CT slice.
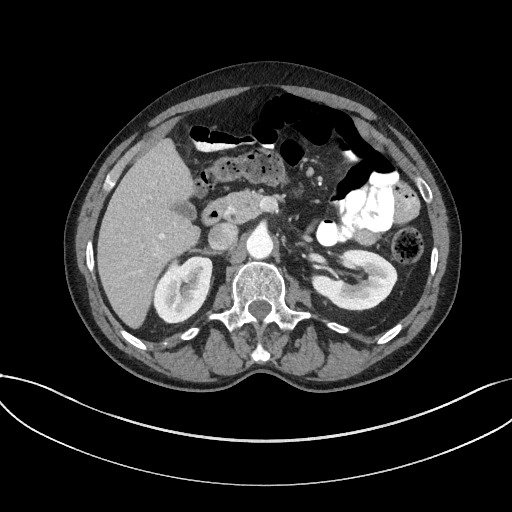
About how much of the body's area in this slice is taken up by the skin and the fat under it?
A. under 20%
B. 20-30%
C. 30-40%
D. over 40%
Answer: A. under 20%
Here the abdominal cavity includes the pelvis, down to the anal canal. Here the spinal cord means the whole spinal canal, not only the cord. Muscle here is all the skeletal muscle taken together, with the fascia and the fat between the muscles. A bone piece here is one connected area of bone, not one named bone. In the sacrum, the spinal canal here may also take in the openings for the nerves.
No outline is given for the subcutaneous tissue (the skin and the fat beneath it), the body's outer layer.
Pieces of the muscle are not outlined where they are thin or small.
{"muscle":[{"outer":[[195,382],[209,382],[216,380],[220,375],[236,374],[247,369],[254,363],[271,364],[286,373],[299,376],[304,375],[307,379],[317,381],[333,381],[347,378],[361,372],[399,347],[408,343],[421,330],[431,317],[436,305],[437,297],[440,289],[440,282],[445,271],[447,256],[449,252],[449,229],[446,209],[435,180],[415,147],[385,119],[369,108],[348,98],[326,91],[304,86],[264,83],[217,90],[196,96],[185,101],[182,101],[162,111],[142,125],[135,133],[120,143],[111,152],[102,164],[83,202],[78,217],[78,223],[75,235],[75,252],[77,265],[85,280],[88,292],[89,303],[93,317],[98,326],[110,341],[130,356],[140,360],[152,369],[161,372],[170,377]],"holes":[[[143,350],[142,339],[195,337],[225,281],[233,304],[208,320],[229,332],[292,330],[312,314],[286,305],[285,273],[311,290],[328,328],[389,341],[436,271],[429,186],[344,110],[280,88],[186,114],[119,176],[137,147],[107,173],[85,252],[120,333]],[[255,361],[257,361],[258,360],[262,360],[263,361],[266,361],[269,359],[269,353],[263,347],[263,346],[262,345],[261,342],[259,340],[257,342],[255,348],[251,352],[251,353],[250,354],[250,356],[252,358],[252,359]]]}],"spinal_cord":[[[259,320],[260,320],[263,317],[264,317],[270,311],[270,309],[271,308],[270,305],[267,302],[266,302],[265,301],[263,301],[262,300],[257,300],[256,301],[254,301],[253,302],[252,302],[249,305],[249,306],[248,307],[248,309],[249,310],[249,311]]],"bones":[{"outer":[[258,334],[272,322],[282,330],[292,330],[300,320],[310,318],[312,314],[309,311],[293,310],[286,305],[284,278],[273,264],[263,261],[249,261],[239,268],[232,280],[232,306],[221,312],[209,314],[207,319],[220,320],[229,332],[245,323],[251,323]],"hole":[[259,320],[260,320],[263,317],[264,317],[270,311],[270,309],[271,308],[270,305],[267,302],[266,302],[265,301],[263,301],[262,300],[257,300],[256,301],[254,301],[253,302],[252,302],[249,305],[249,306],[248,307],[248,309],[249,310],[249,311]]},[[106,192],[108,192],[114,185],[115,181],[118,176],[118,174],[121,168],[123,166],[123,164],[125,160],[130,156],[131,156],[135,152],[135,151],[137,149],[137,147],[133,147],[129,151],[128,151],[107,173],[102,185],[102,189]],[[428,204],[432,201],[432,199],[433,198],[433,196],[432,195],[432,192],[429,186],[423,179],[423,178],[421,176],[419,175],[417,175],[413,178],[413,180],[416,186],[418,188],[421,195],[423,197],[424,200],[426,202],[426,203]],[[378,344],[382,344],[383,343],[385,343],[389,341],[391,339],[392,339],[399,332],[399,331],[401,329],[402,327],[402,324],[401,322],[398,322],[394,326],[393,326],[391,328],[387,330],[384,333],[383,333],[378,338],[377,340],[377,343]],[[255,361],[257,361],[258,360],[262,360],[263,361],[266,361],[269,359],[269,353],[263,347],[263,346],[262,345],[261,342],[259,340],[257,342],[255,348],[251,352],[251,353],[250,354],[250,356],[252,358],[252,359]],[[143,350],[146,349],[146,346],[145,345],[145,344],[140,339],[137,338],[135,336],[134,336],[132,334],[131,334],[123,328],[122,328],[120,330],[120,333],[122,335],[122,336],[128,342],[129,342],[134,346],[135,346],[140,349],[142,349]],[[91,273],[92,273],[92,271],[93,270],[93,267],[94,266],[94,261],[93,260],[93,243],[92,242],[92,240],[90,239],[88,240],[87,242],[87,246],[86,247],[86,251],[85,252],[85,254],[86,255],[86,265],[88,269],[91,272]],[[431,276],[432,276],[435,273],[435,272],[436,271],[436,268],[437,267],[437,261],[438,260],[438,252],[437,251],[437,248],[436,247],[436,246],[435,246],[434,245],[433,245],[432,246],[432,248],[431,249],[431,253],[430,254],[430,275]],[[339,333],[346,333],[347,332],[350,331],[350,329],[347,326],[345,326],[344,325],[342,325],[341,324],[339,324],[336,322],[332,322],[331,321],[324,321],[324,322],[325,323],[326,326],[328,328],[329,328],[330,329],[331,329],[336,332],[338,332]],[[184,340],[187,340],[188,339],[191,339],[192,338],[195,337],[199,332],[199,330],[200,329],[198,327],[190,327],[188,329],[187,329],[186,330],[185,330],[183,332],[180,333],[179,334],[180,335],[180,338],[181,339],[183,339]]],"abdominal_cavity":[[[150,341],[197,323],[218,286],[231,284],[249,260],[271,262],[284,277],[297,278],[311,290],[320,315],[364,335],[384,332],[415,305],[429,271],[425,202],[411,178],[342,109],[261,87],[186,114],[123,170],[94,232],[94,268],[105,303],[122,327]]],"torso":[[[190,392],[222,390],[254,373],[271,374],[309,392],[371,383],[409,363],[451,309],[459,283],[462,233],[450,188],[408,124],[357,83],[281,60],[241,62],[208,71],[138,112],[102,149],[81,182],[63,231],[66,283],[81,320],[100,348],[125,370]]]}